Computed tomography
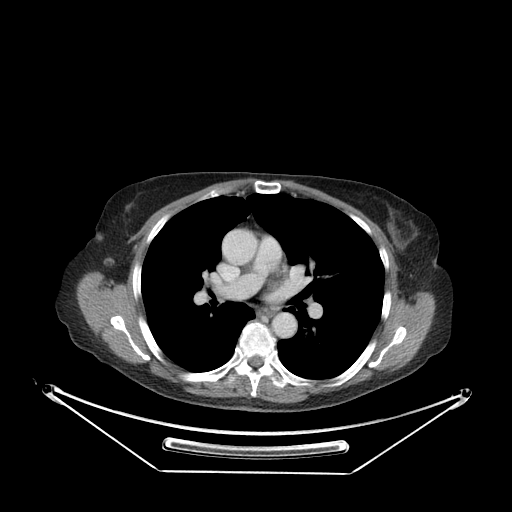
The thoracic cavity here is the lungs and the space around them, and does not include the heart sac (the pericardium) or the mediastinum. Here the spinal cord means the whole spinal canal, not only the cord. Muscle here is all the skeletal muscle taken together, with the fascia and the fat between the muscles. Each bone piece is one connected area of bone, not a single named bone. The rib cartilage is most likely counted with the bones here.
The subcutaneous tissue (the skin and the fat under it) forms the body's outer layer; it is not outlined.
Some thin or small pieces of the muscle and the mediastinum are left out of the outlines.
Outlines:
thoracic cavity: (252, 192) (328, 204) (377, 248) (380, 317) (357, 358) (335, 376) (303, 377) (280, 360) (277, 342) (298, 331) (296, 316) (285, 310) (292, 267) (251, 211) (223, 236) (211, 274) (214, 294) (254, 312) (229, 359) (188, 371) (150, 329) (141, 277) (153, 239) (194, 203)
bones 1: (249, 321) (268, 328) (276, 340) (278, 358) (290, 372) (318, 381) (311, 386) (287, 383) (278, 387) (264, 375) (258, 382) (256, 396) (252, 397) (250, 379) (244, 374) (236, 375) (229, 383) (224, 382) (226, 375) (216, 381) (181, 379) (181, 372) (206, 372) (227, 362), around a hole outlined by (255, 355) (257, 355) (258, 356) (259, 356) (260, 357) (261, 357) (262, 358) (262, 364) (260, 366) (259, 366) (258, 367) (257, 367) (256, 368) (255, 368) (254, 367) (253, 367) (252, 366) (251, 366) (248, 363) (248, 360) (251, 357) (252, 357) (253, 356) (254, 356)
bones 2: (399, 326) (403, 326) (406, 329) (404, 338) (400, 343) (391, 346) (376, 366) (369, 367) (365, 363) (343, 383) (336, 386) (321, 386) (327, 379) (335, 377) (346, 370) (358, 358) (370, 340) (374, 338) (376, 339) (376, 345) (368, 361) (375, 361) (381, 350) (392, 340)
bones 3: (140, 315) (142, 315) (146, 320) (146, 322) (149, 327) (149, 329) (156, 343) (161, 349) (163, 353) (163, 357) (165, 360) (165, 363) (161, 362) (152, 353) (152, 352) (148, 347) (142, 335) (142, 333) (141, 332) (141, 330) (140, 329) (140, 327) (138, 323) (138, 317)
bones 4: (114, 315) (120, 315) (122, 317) (124, 321) (125, 327) (130, 334) (130, 336) (132, 340) (143, 353) (148, 355) (150, 357) (150, 359) (149, 360) (145, 360) (134, 350) (134, 349) (131, 346) (127, 336) (123, 331) (119, 329) (116, 329) (114, 328) (110, 322) (110, 318)
bones 5: (258, 179) (259, 179) (260, 180) (263, 180) (264, 181) (276, 181) (277, 182) (278, 182) (279, 183) (280, 183) (280, 184) (281, 185) (281, 190) (279, 192) (278, 192) (277, 193) (259, 193) (258, 192) (255, 192) (253, 189) (253, 183) (254, 182) (254, 181) (255, 181)
bones 6: (136, 262) (139, 262) (141, 263) (142, 265) (141, 266) (141, 276) (140, 277) (140, 288) (141, 289) (141, 297) (137, 300) (136, 300) (134, 297) (134, 294) (133, 293) (133, 286) (132, 285) (132, 278) (133, 277) (133, 269) (134, 268) (134, 266)
bones 7: (226, 186) (232, 186) (233, 187) (233, 191) (230, 194) (222, 194) (218, 196) (215, 196) (214, 197) (210, 197) (206, 199) (203, 199) (202, 200) (200, 200) (199, 201) (194, 202) (199, 197) (207, 193) (212, 189) (214, 189) (215, 188) (219, 188) (220, 187) (225, 187)
bones 8: (167, 213) (169, 213) (171, 215) (171, 216) (167, 220) (167, 221) (163, 225) (163, 226) (160, 229) (160, 230) (152, 239) (150, 243) (149, 244) (147, 244) (146, 242) (147, 240) (147, 237) (152, 227) (163, 215)
bones 9: (386, 290) (388, 290) (391, 294) (391, 304) (390, 305) (390, 307) (389, 308) (389, 312) (388, 313) (388, 315) (387, 316) (386, 319) (385, 320) (382, 320) (380, 318) (381, 317) (381, 310) (382, 309) (382, 303) (383, 302) (383, 296) (384, 295) (384, 292)
bones 10: (349, 213) (351, 213) (352, 214) (353, 214) (354, 215) (355, 215) (356, 216) (357, 216) (358, 217) (359, 217) (361, 219) (362, 219) (368, 225) (368, 226) (370, 228) (370, 229) (371, 230) (371, 235) (369, 235) (353, 219) (352, 219) (348, 215) (348, 214)
bones 11: (380, 246) (383, 246) (385, 248) (385, 250) (387, 253) (387, 256) (388, 257) (388, 262) (389, 263) (389, 266) (387, 270) (385, 270) (384, 268) (384, 266) (383, 265) (383, 263) (381, 260) (381, 258) (379, 254) (379, 251) (378, 250) (378, 248)
mediastinum: (251, 212) (256, 222) (280, 244) (291, 267) (291, 292) (284, 310) (295, 316) (297, 331) (290, 338) (277, 341) (265, 324) (250, 320) (255, 317) (255, 312) (249, 305) (242, 301) (225, 301) (214, 293) (211, 287) (212, 274) (222, 256) (221, 244) (224, 236) (244, 221)
spinal cord: (255, 355) (257, 355) (258, 356) (259, 356) (260, 357) (261, 357) (262, 358) (262, 364) (260, 366) (259, 366) (258, 367) (257, 367) (256, 368) (255, 368) (254, 367) (253, 367) (252, 366) (251, 366) (248, 363) (248, 360) (251, 357) (252, 357) (253, 356) (254, 356)
torso: (190, 171) (346, 178) (383, 187) (410, 202) (435, 223) (439, 234) (437, 261) (452, 281) (452, 331) (447, 345) (413, 373) (395, 382) (341, 404) (298, 412) (228, 410) (174, 400) (140, 385) (78, 348) (54, 308) (66, 263) (93, 236) (104, 204) (115, 191) (152, 176)
muscle 1: (249, 177) (257, 179) (252, 183) (253, 191) (251, 192) (232, 193) (234, 191) (232, 185) (215, 187) (175, 214) (172, 215) (169, 212) (163, 214) (147, 234) (145, 242) (149, 245) (142, 264) (136, 261) (132, 269) (133, 297) (136, 301) (142, 299) (146, 317) (140, 314) (137, 317) (137, 323) (147, 347) (161, 363) (166, 363) (164, 354) (186, 371) (181, 371) (177, 375) (188, 383) (216, 382) (226, 376) (223, 382) (229, 384) (238, 375) (244, 375) (249, 379) (250, 398) (197, 395) (152, 374) (144, 364) (127, 362) (112, 353) (95, 336) (85, 320) (76, 298) (76, 285) (83, 274) (94, 270) (102, 273) (108, 280) (125, 283) (134, 255) (133, 247) (138, 240) (129, 241) (130, 238) (153, 213) (174, 200) (212, 184), around a hole outlined by (114, 315) (120, 315) (122, 317) (124, 321) (125, 327) (130, 334) (130, 336) (132, 340) (143, 353) (148, 355) (150, 357) (150, 359) (149, 360) (145, 360) (134, 350) (134, 349) (131, 346) (127, 336) (123, 331) (119, 329) (116, 329) (114, 328) (110, 322) (110, 318)
muscle 2: (281, 179) (318, 189) (361, 211) (379, 226) (389, 241) (398, 266) (398, 288) (403, 295) (408, 298) (420, 290) (430, 291) (436, 302) (430, 329) (415, 355) (405, 365) (340, 390) (314, 394) (292, 403) (257, 398) (257, 388) (262, 377) (268, 377) (278, 388) (283, 388) (287, 384) (311, 387) (319, 380) (325, 380) (321, 387) (336, 387) (353, 377) (365, 364) (369, 368) (376, 367) (391, 347) (403, 341) (407, 329) (399, 325) (377, 358) (369, 361) (377, 345) (377, 339) (371, 339) (372, 335) (380, 319) (387, 319) (392, 304) (391, 292) (388, 289) (384, 290) (385, 271) (390, 266) (386, 248) (383, 245) (376, 246) (370, 236) (371, 228) (359, 216) (351, 212) (346, 214) (323, 201) (281, 191) (281, 183) (272, 180)